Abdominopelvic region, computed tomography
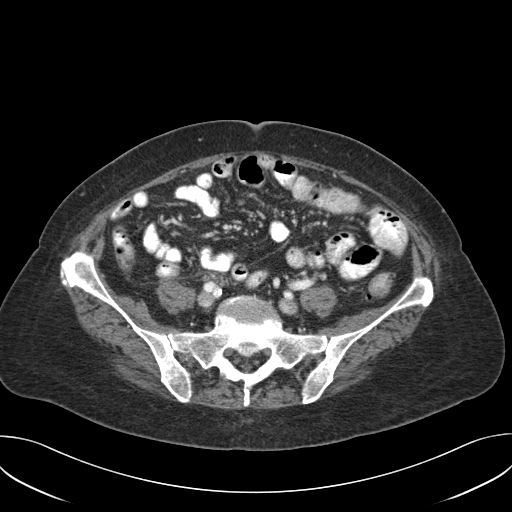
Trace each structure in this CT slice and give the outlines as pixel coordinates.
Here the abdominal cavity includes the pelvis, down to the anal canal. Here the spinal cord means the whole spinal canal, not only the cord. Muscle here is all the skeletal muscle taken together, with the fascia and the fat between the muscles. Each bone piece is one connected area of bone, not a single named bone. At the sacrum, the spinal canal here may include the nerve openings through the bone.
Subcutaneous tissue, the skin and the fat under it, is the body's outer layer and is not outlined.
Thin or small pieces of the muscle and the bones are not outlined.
Outlines:
spinal cord: 228,348 231,349 232,351 235,352 241,357 248,357 249,358 263,349 268,348 270,349 271,352 270,353 270,357 264,362 261,363 253,371 251,372 243,372 234,364 232,360 229,359 224,355 223,351
bones: 80,249 131,319 164,334 210,330 237,295 269,302 288,332 328,338 373,321 415,276 434,298 356,340 316,401 301,390 322,352 254,384 247,407 240,381 176,352 191,374 182,403 118,311 61,283 60,261; inner edge: 228,348 231,349 232,351 235,352 241,357 248,357 249,358 263,349 268,348 270,349 271,352 270,353 270,357 264,362 261,363 253,371 251,372 243,372 234,364 232,360 229,359 224,355 223,351
torso: 216,119 253,123 281,120 338,132 373,147 416,177 452,219 462,249 498,313 506,351 494,385 474,398 395,428 324,445 273,451 207,449 144,438 7,390 0,383 0,304 58,204 86,177 140,142 180,126
muscle 1: 254,149 294,155 345,170 349,175 384,194 404,208 423,226 429,234 437,252 441,268 441,283 436,297 433,280 428,275 418,274 413,277 412,238 408,228 396,211 381,198 335,175 311,167 302,166 278,155 252,152 237,153 219,157 207,165 188,169 165,182 140,189 119,201 110,211 103,231 104,245 99,260 99,267 105,275 109,286 118,295 130,296 135,301 141,300 152,317 158,322 182,330 164,333 138,325 109,293 96,270 94,257 90,253 80,248 74,250 60,260 60,255 66,250 70,240 90,222 99,210 128,190 178,165 200,157 221,152
muscle 2: 61,284 67,288 77,287 84,292 106,303 118,312 131,327 132,330 146,343 158,367 160,375 159,377 160,382 179,402 170,401 165,398 160,397 114,375 108,369 102,358 100,345 86,333 78,323 70,298
muscle 3: 419,305 424,308 429,307 422,315 421,320 415,330 408,339 403,341 392,352 380,357 374,363 373,375 364,379 360,383 352,385 330,397 318,400 334,380 334,374 337,367 346,352 356,341 391,314 412,306
muscle 4: 322,353 323,356 321,359 308,371 304,378 300,390 301,398 300,402 302,404 290,405 276,409 262,410 257,410 248,407 251,401 250,400 251,389 254,385 268,378 276,369 290,370 305,357 309,355 317,355
muscle 5: 176,353 184,356 190,356 203,370 209,370 214,367 217,369 218,374 225,379 233,382 240,382 242,384 243,393 242,405 245,408 225,410 200,404 188,404 191,401 193,395 191,377 192,374 181,363 176,356
muscle 6: 162,280 173,280 181,284 183,284 185,286 193,288 195,290 195,299 194,300 193,307 189,309 184,310 183,311 180,311 178,313 178,314 172,314 165,308 164,308 161,305 156,293 156,288 158,286 159,282
muscle 7: 324,284 328,284 331,286 331,287 333,288 335,291 337,295 337,304 331,313 323,318 320,318 317,316 313,311 309,311 308,310 306,310 302,307 302,305 300,302 300,293 302,291 306,290 309,288 320,286
muscle 8: 408,284 409,285 403,293 386,310 367,324 354,330 347,331 342,333 338,333 337,334 333,334 328,337 324,333 316,333 320,328 325,326 334,326 341,319 348,316 357,314 364,309 377,308 383,306 397,296
abdominal cavity: 249,153 278,156 330,174 385,202 411,238 411,281 383,305 364,308 315,333 286,330 271,303 255,295 224,299 214,312 213,326 192,331 162,323 141,299 116,293 100,267 104,231 113,208 134,193 188,170; inner edge: 162,280 173,280 181,284 183,284 185,286 193,288 195,290 195,299 194,300 193,307 189,309 184,310 183,311 180,311 178,313 178,314 172,314 165,308 164,308 161,305 156,293 156,288 158,286 159,282